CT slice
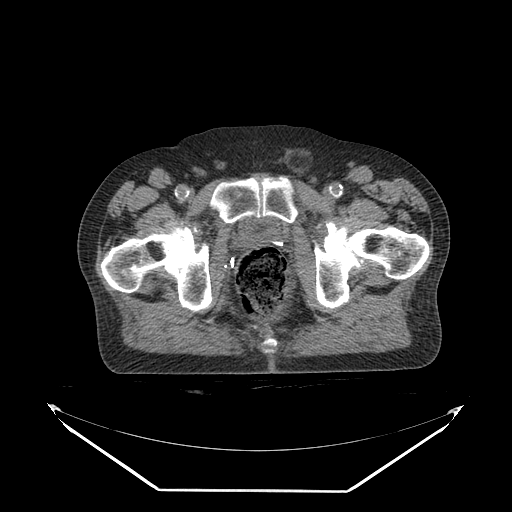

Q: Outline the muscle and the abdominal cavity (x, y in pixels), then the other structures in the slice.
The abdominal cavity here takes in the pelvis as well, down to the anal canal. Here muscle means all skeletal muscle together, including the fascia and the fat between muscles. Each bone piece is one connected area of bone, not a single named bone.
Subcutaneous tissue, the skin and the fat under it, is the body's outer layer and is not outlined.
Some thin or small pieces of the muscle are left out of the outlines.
A: {"muscle":[{"outer":[[150,164],[162,167],[174,180],[182,183],[198,183],[261,171],[288,174],[314,187],[324,186],[340,178],[358,165],[373,164],[394,168],[399,171],[421,192],[426,200],[430,207],[434,228],[432,261],[415,288],[413,300],[414,338],[411,345],[406,348],[379,353],[304,358],[268,357],[261,354],[245,356],[159,354],[132,349],[124,345],[120,338],[117,316],[112,300],[95,272],[96,240],[106,207],[122,181],[139,167]],"holes":[[[279,176],[286,176],[291,181],[294,189],[293,202],[298,211],[293,222],[284,223],[289,230],[295,276],[293,298],[278,319],[267,325],[257,326],[243,319],[229,299],[227,263],[234,224],[222,220],[209,202],[220,182],[249,177],[259,181],[263,177]],[[328,220],[338,227],[345,225],[349,234],[362,228],[384,228],[388,225],[417,233],[427,241],[429,254],[414,274],[399,280],[386,276],[377,262],[365,259],[359,269],[353,267],[349,272],[349,300],[334,308],[325,307],[316,299],[313,241],[322,243]],[[179,224],[190,228],[195,226],[198,229],[193,233],[195,241],[199,244],[204,241],[209,247],[212,301],[208,307],[196,312],[182,307],[175,279],[161,266],[144,276],[138,291],[126,293],[108,284],[100,264],[112,246],[130,237],[167,233]],[[299,297],[301,298],[301,300],[303,302],[303,304],[308,312],[308,314],[310,318],[310,321],[309,322],[285,322],[285,321],[286,321],[287,319],[288,319],[293,314],[295,310],[295,305],[297,302],[297,299]],[[267,334],[270,335],[272,337],[275,338],[277,340],[277,346],[276,347],[276,351],[273,353],[263,353],[262,352],[261,352],[260,351],[260,350],[257,347],[262,342],[262,341],[264,339],[264,338],[265,337],[265,335],[266,335]],[[224,313],[227,313],[228,314],[229,314],[231,316],[231,317],[234,320],[234,323],[231,323],[229,321],[228,321],[227,320],[224,320],[223,319],[219,319],[219,317],[220,317],[221,316],[221,315],[222,315]]]}],"abdominal_cavity":[[[251,216],[257,218],[274,216],[284,222],[289,230],[290,250],[293,262],[293,272],[295,276],[293,298],[283,315],[278,319],[268,323],[267,325],[258,326],[246,321],[237,313],[229,299],[230,298],[228,295],[227,287],[227,263],[232,229],[237,221]]],"torso":[[[266,124],[310,127],[338,139],[386,149],[408,160],[432,183],[450,221],[450,248],[437,289],[442,340],[436,358],[420,368],[387,371],[119,374],[109,370],[98,351],[93,301],[76,249],[80,220],[93,193],[115,166],[139,152],[174,145],[213,127]]],"bones":[[[328,220],[338,227],[345,225],[349,234],[362,228],[384,228],[388,225],[417,233],[427,241],[429,254],[414,274],[399,280],[386,276],[377,262],[365,259],[359,269],[353,267],[349,272],[349,300],[334,308],[325,307],[316,299],[313,241],[322,243]],[[179,224],[190,228],[195,226],[198,229],[193,233],[195,241],[199,244],[204,241],[209,247],[212,301],[208,307],[196,312],[182,307],[175,279],[161,266],[144,276],[138,291],[126,293],[108,284],[100,264],[112,246],[130,237],[167,233]],{"outer":[[279,176],[286,176],[291,181],[294,189],[293,202],[298,214],[291,223],[285,222],[274,215],[259,217],[251,215],[245,216],[234,223],[226,223],[220,218],[218,212],[209,205],[213,191],[220,182],[249,177],[254,177],[259,181],[263,177],[277,178]],"holes":[[[280,204],[281,204],[282,204],[283,204],[283,205],[283,206],[284,207],[284,208],[284,209],[285,210],[285,211],[284,212],[283,212],[282,212],[281,211],[280,211],[279,210],[278,210],[277,210],[277,209],[278,208],[278,207],[279,206],[280,205]],[[239,204],[239,205],[240,206],[241,207],[241,208],[241,209],[241,210],[240,210],[239,211],[238,211],[237,212],[236,212],[235,212],[234,212],[234,211],[234,210],[234,209],[234,208],[234,207],[235,206],[236,205],[237,205],[238,205]]]},[[267,334],[270,335],[272,337],[275,338],[277,340],[277,346],[276,347],[276,351],[273,353],[263,353],[262,352],[261,352],[260,351],[260,350],[257,347],[262,342],[262,341],[264,339],[264,338],[265,337],[265,335],[266,335]]]}